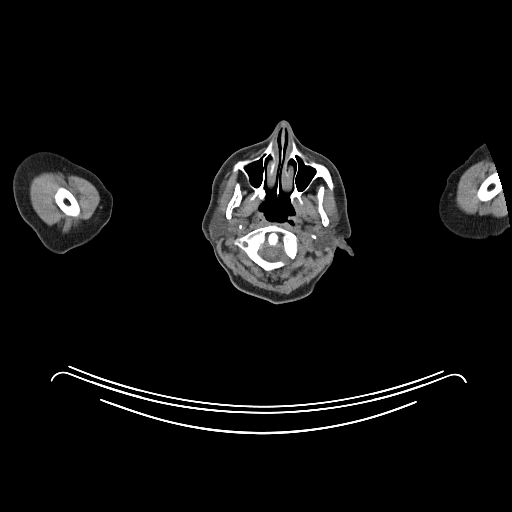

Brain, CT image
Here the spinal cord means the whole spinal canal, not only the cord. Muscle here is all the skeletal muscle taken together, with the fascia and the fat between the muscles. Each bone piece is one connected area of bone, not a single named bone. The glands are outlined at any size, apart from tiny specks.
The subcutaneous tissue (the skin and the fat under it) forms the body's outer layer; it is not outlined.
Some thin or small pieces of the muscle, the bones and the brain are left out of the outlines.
right arm: 40 150; 56 152; 71 161; 90 170; 98 176; 104 185; 111 192; 113 197; 113 206; 110 219; 101 230; 100 233; 92 241; 73 248; 62 254; 53 253; 44 247; 35 232; 22 219; 16 207; 13 196; 12 181; 18 164; 27 155
left arm: 483 143; 486 145; 489 151; 495 166; 495 169; 499 176; 503 192; 503 199; 507 211; 509 226; 503 233; 497 236; 491 236; 482 240; 464 239; 458 237; 449 231; 442 224; 438 216; 437 210; 438 200; 450 172; 460 165; 477 147
muscle 1: 232 165; 231 171; 242 173; 252 191; 250 199; 261 201; 258 209; 270 222; 293 224; 288 217; 295 213; 295 201; 302 205; 302 195; 318 178; 331 191; 334 180; 337 208; 330 222; 323 206; 325 187; 321 184; 315 195; 316 209; 324 227; 321 240; 331 246; 330 257; 308 283; 288 294; 250 284; 235 275; 218 252; 216 240; 226 232; 226 222; 222 212; 216 209; 217 200; 220 184; inner edges: 270 224; 276 224; 279 227; 281 227; 295 234; 298 240; 298 252; 296 256; 293 259; 288 259; 285 265; 279 268; 276 268; 269 271; 266 271; 253 261; 241 248; 236 245; 234 243; 234 240; 236 238; 241 237; 257 228; 264 227, then 237 182; 238 182; 240 185; 240 190; 241 191; 242 197; 241 198; 241 200; 240 201; 239 205; 235 207; 232 210; 231 212; 231 218; 230 219; 227 219; 225 215; 225 211; 226 210; 227 205; 233 195; 235 184
muscle 2: 42 171; 60 171; 65 174; 77 175; 91 182; 95 186; 100 195; 99 207; 97 208; 92 217; 87 220; 82 221; 77 227; 71 229; 67 233; 62 233; 55 225; 48 226; 43 222; 33 209; 29 198; 29 183; 30 180; 34 175, around a hole outlined by 59 187; 63 187; 67 189; 75 197; 78 203; 78 205; 79 206; 79 209; 80 210; 79 212; 79 214; 77 216; 70 216; 69 215; 67 215; 65 214; 61 210; 61 209; 56 203; 55 201; 55 199; 54 198; 54 195; 57 189
muscle 3: 489 158; 493 161; 495 166; 494 170; 481 182; 475 195; 481 202; 487 202; 499 193; 503 194; 505 214; 502 217; 498 218; 491 215; 479 215; 476 213; 467 214; 460 210; 455 204; 455 193; 461 175; 474 163; 482 159
muscle 4: 262 148; 263 148; 263 149; 261 151; 261 152; 260 153; 259 153; 257 155; 256 155; 253 157; 251 157; 250 158; 244 158; 243 159; 239 159; 240 158; 241 158; 245 154; 247 154; 248 153; 250 153; 251 152; 255 152
head: 282 119; 289 122; 305 146; 324 155; 336 166; 345 189; 351 227; 346 240; 354 254; 350 256; 336 249; 330 266; 308 295; 292 302; 275 304; 244 293; 231 283; 203 235; 201 222; 210 200; 212 181; 222 163; 234 151; 263 140; inner edges: 273 189; 277 195; 282 191; 288 194; 289 202; 293 207; 294 213; 292 215; 289 215; 287 218; 292 220; 293 223; 290 223; 288 221; 281 221; 280 222; 279 221; 270 221; 266 219; 264 213; 259 209; 259 206; 265 199; 268 190, then 299 159; 301 160; 302 163; 305 166; 313 169; 313 171; 314 172; 313 173; 313 175; 311 176; 309 181; 303 189; 299 189; 297 186; 297 183; 296 182; 296 176; 298 174; 298 170; 299 169; 299 165; 298 164; 298 160, then 259 160; 261 161; 261 163; 263 166; 263 169; 261 173; 261 179; 259 182; 259 184; 257 186; 255 186; 253 185; 250 181; 250 175; 248 173; 248 171; 246 169; 246 166; 254 162; 256 162, then 279 132; 280 132; 280 147; 279 148; 278 147; 278 142; 277 141; 277 135; 278 134; 278 133
brain 1: 280 242; 280 243; 281 244; 281 245; 282 246; 282 247; 282 248; 282 249; 283 250; 283 251; 283 252; 282 251; 281 250; 280 249; 279 248; 278 248; 277 247; 276 246; 277 245; 278 244; 279 243
brain 2: 266 242; 266 243; 267 244; 268 245; 269 246; 270 246; 269 246; 268 246; 267 246; 266 247; 265 247; 264 247; 263 247; 262 247; 263 246; 263 245; 264 244; 265 243
spinal cord: 267 247; 276 247; 278 249; 279 249; 283 253; 283 254; 284 255; 284 257; 283 257; 282 258; 281 258; 279 260; 278 260; 277 261; 268 261; 267 260; 265 260; 261 256; 261 255; 259 253; 259 252; 258 251; 261 248; 266 248
bones 1: 283 129; 285 146; 289 136; 308 160; 327 167; 332 190; 318 177; 301 195; 302 204; 295 200; 292 205; 287 192; 277 194; 274 188; 267 190; 262 201; 251 199; 252 189; 240 170; 232 171; 233 165; 260 154; 276 136; 279 149 with holes at 299 159; 301 160; 302 163; 305 166; 313 169; 313 171; 314 172; 313 173; 313 175; 311 176; 309 181; 303 189; 299 189; 297 186; 297 183; 296 182; 296 176; 298 174; 298 170; 299 169; 299 165; 298 164; 298 160 and at 259 160; 261 161; 261 163; 263 166; 263 169; 261 173; 261 179; 259 182; 259 184; 257 186; 255 186; 253 185; 250 181; 250 175; 248 173; 248 171; 246 169; 246 166; 254 162; 256 162
bones 2: 270 224; 276 224; 279 227; 281 227; 295 234; 298 240; 298 252; 296 256; 293 259; 288 259; 285 265; 279 268; 276 268; 269 271; 266 271; 253 261; 241 248; 236 245; 234 243; 234 240; 236 238; 241 237; 257 228; 264 227, around a hole outlined by 266 242; 266 243; 269 246; 271 247; 275 247; 280 242; 282 246; 282 249; 283 250; 283 252; 284 253; 284 255; 285 257; 283 258; 281 258; 277 261; 268 261; 267 260; 265 260; 261 256; 261 255; 258 251
bones 3: 59 187; 63 187; 67 189; 75 197; 78 203; 78 205; 79 206; 79 209; 80 210; 79 212; 79 214; 77 216; 70 216; 69 215; 67 215; 65 214; 61 210; 61 209; 56 203; 55 201; 55 199; 54 198; 54 195; 57 189
bones 4: 495 168; 499 176; 499 179; 501 183; 501 186; 502 187; 502 191; 503 193; 501 192; 499 192; 490 200; 488 200; 487 201; 481 201; 477 197; 476 195; 477 193; 477 191; 480 185; 482 183; 482 182; 495 170
bones 5: 237 182; 238 182; 240 185; 240 190; 241 191; 242 197; 241 198; 241 200; 240 201; 239 205; 235 207; 232 210; 231 212; 231 218; 230 219; 227 219; 225 215; 225 211; 226 210; 227 205; 233 195; 235 184
bones 6: 321 185; 322 185; 324 187; 324 191; 323 192; 323 199; 322 200; 322 206; 325 213; 327 215; 329 219; 329 223; 327 226; 324 226; 322 224; 321 222; 321 217; 317 209; 317 197; 316 195; 317 194; 317 191; 319 187
parotid glands 1: 337 209; 339 214; 339 222; 338 223; 338 227; 339 228; 339 230; 338 231; 339 239; 337 242; 333 245; 326 244; 324 243; 322 240; 322 232; 324 228; 325 227; 327 227; 332 221; 332 218; 333 217; 334 212; 335 210
parotid glands 2: 215 210; 219 210; 223 215; 223 218; 225 222; 225 232; 223 234; 223 235; 218 237; 217 239; 212 239; 210 235; 210 233; 209 232; 209 228; 208 227; 209 226; 209 222; 210 221; 210 219; 212 217; 212 215; 214 213